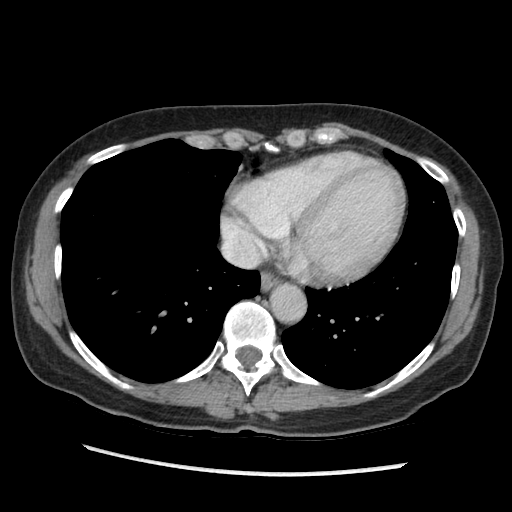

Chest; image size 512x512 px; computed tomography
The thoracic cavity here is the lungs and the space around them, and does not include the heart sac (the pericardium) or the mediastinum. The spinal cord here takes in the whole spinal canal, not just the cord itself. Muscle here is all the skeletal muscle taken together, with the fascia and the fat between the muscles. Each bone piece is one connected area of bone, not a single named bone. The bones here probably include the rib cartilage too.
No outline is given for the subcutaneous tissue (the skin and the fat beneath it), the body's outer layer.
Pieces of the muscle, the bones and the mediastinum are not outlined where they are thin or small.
The bones appear in 12 outlined pieces: piece 1: [[243,300],[253,301],[269,312],[275,324],[277,338],[289,360],[322,385],[289,380],[282,376],[281,368],[277,365],[273,371],[258,380],[247,396],[239,379],[218,363],[210,372],[196,378],[177,383],[171,381],[197,366],[210,354],[222,333],[227,312]]; inner edge: [[248,345],[250,346],[252,346],[258,349],[261,353],[261,356],[260,358],[256,362],[254,363],[251,369],[249,370],[246,370],[244,368],[244,366],[241,363],[241,362],[236,357],[236,354],[237,353],[237,350],[239,348],[241,348],[244,346],[247,346]]; piece 2: [[69,329],[73,329],[75,331],[81,340],[92,352],[92,353],[106,366],[107,366],[109,368],[110,371],[115,376],[122,381],[132,385],[133,388],[131,389],[122,389],[120,388],[90,365],[83,358],[73,345],[68,334],[68,330]]; piece 3: [[431,340],[434,340],[435,341],[435,345],[432,351],[426,358],[426,359],[413,372],[394,385],[380,392],[374,397],[363,397],[362,396],[364,393],[368,391],[373,390],[378,387],[380,387],[387,383],[397,372],[398,372],[410,361],[411,361],[431,341]]; piece 4: [[320,127],[336,127],[340,129],[345,134],[346,136],[344,138],[339,139],[337,141],[333,143],[331,143],[330,144],[319,144],[318,143],[316,143],[310,140],[309,138],[312,134],[313,131],[316,128],[319,128]]; piece 5: [[416,156],[422,156],[430,160],[432,162],[435,163],[440,168],[441,168],[441,169],[447,175],[447,176],[449,178],[449,182],[447,183],[445,183],[444,184],[442,184],[440,182],[436,180],[433,177],[432,177],[416,161],[415,161],[415,157]]; piece 6: [[119,143],[125,143],[127,145],[127,149],[126,150],[120,153],[118,153],[113,156],[111,156],[106,159],[104,159],[99,162],[97,162],[92,165],[88,164],[86,162],[86,160],[94,153],[104,148],[106,148],[109,146],[111,146],[115,144],[118,144]]; piece 7: [[225,132],[236,132],[237,133],[239,133],[244,138],[246,144],[245,145],[242,146],[240,148],[239,148],[238,149],[229,149],[228,148],[227,148],[227,147],[225,145],[225,144],[223,142],[223,141],[222,140],[222,134],[223,134]]; piece 8: [[300,129],[302,129],[306,132],[306,136],[307,137],[307,139],[306,140],[306,142],[305,144],[303,146],[301,147],[298,147],[297,148],[293,148],[292,147],[290,147],[288,146],[286,143],[286,136],[290,132],[292,131],[294,131],[295,130],[299,130]]; piece 9: [[456,206],[458,206],[461,209],[465,217],[465,222],[466,223],[466,226],[465,227],[465,234],[464,236],[462,237],[460,237],[458,235],[458,231],[457,230],[457,228],[456,227],[456,225],[455,224],[455,222],[454,221],[454,219],[452,215],[452,211]]; piece 10: [[455,260],[459,263],[459,265],[460,266],[460,275],[459,276],[459,283],[458,284],[458,286],[457,287],[457,290],[456,291],[455,296],[453,298],[453,299],[450,299],[450,286],[451,285],[451,275],[452,274],[452,269],[453,268],[453,266],[454,265]]; piece 11: [[69,185],[74,186],[74,188],[73,189],[73,190],[72,191],[69,198],[65,203],[62,210],[60,212],[58,212],[57,213],[56,213],[54,211],[54,208],[55,207],[55,204],[56,203],[57,198],[58,197],[59,194],[62,191],[62,190]]; piece 12: [[58,242],[60,242],[60,243],[61,244],[61,276],[60,277],[60,279],[59,280],[57,280],[56,279],[56,277],[55,276],[55,270],[54,269],[54,249],[55,248],[55,246],[56,245],[56,244]]. The spinal cord is outlined by [[248,345],[250,346],[252,346],[258,349],[261,353],[261,356],[260,358],[256,362],[254,363],[251,369],[249,370],[246,370],[244,368],[244,366],[241,363],[241,362],[236,357],[236,354],[237,353],[237,350],[239,348],[241,348],[244,346],[247,346]]. The torso is outlined by [[302,102],[367,105],[408,117],[453,146],[483,182],[499,217],[504,264],[487,341],[469,379],[393,425],[331,438],[286,438],[249,429],[224,433],[154,426],[104,413],[38,380],[26,366],[14,336],[10,271],[21,205],[47,164],[90,129],[138,110]]. The pericardium is outlined by [[340,144],[349,144],[375,152],[394,166],[405,185],[407,193],[405,221],[399,238],[383,260],[372,271],[347,286],[327,289],[300,284],[281,275],[257,268],[237,266],[227,259],[220,247],[219,216],[230,180],[249,166],[316,147]]. The thoracic cavity appears in 2 outlined pieces: piece 1: [[164,139],[179,139],[199,149],[225,148],[241,154],[237,171],[221,200],[215,246],[229,264],[256,270],[260,281],[255,295],[240,299],[228,309],[219,337],[201,362],[172,379],[142,382],[111,369],[73,328],[62,289],[60,224],[75,186],[91,166]]; piece 2: [[385,148],[416,162],[445,191],[457,231],[449,298],[433,337],[398,371],[368,387],[340,388],[325,384],[296,366],[278,338],[284,330],[296,325],[306,315],[306,287],[327,290],[347,287],[372,272],[400,238],[408,214],[408,193],[400,172],[384,154]]. The mediastinum appears in 4 outlined pieces: piece 1: [[241,268],[257,269],[260,271],[281,276],[300,285],[309,286],[306,286],[304,290],[307,299],[307,309],[302,319],[296,324],[284,329],[278,337],[274,319],[270,312],[265,307],[250,299],[240,300],[255,296],[259,292],[261,281],[260,273],[256,269]]; piece 2: [[313,144],[329,145],[316,146],[290,153],[275,159],[268,159],[259,164],[249,165],[245,169],[237,173],[243,156],[241,153],[235,150],[247,148],[250,152],[264,150],[269,153],[276,154],[279,153],[281,149],[286,146],[293,149],[297,149],[306,145]]; piece 3: [[348,138],[361,138],[370,142],[373,142],[380,146],[383,146],[384,147],[383,149],[383,154],[387,159],[375,151],[371,149],[368,149],[365,147],[362,147],[357,145],[352,145],[349,143],[340,143],[339,144],[331,144],[333,144],[334,143],[337,142],[339,140],[341,140],[342,139],[347,139]]; piece 4: [[219,232],[219,235],[220,236],[219,237],[219,247],[220,248],[220,251],[221,252],[221,253],[225,257],[225,258],[227,260],[228,260],[231,263],[229,263],[222,256],[220,251],[216,246],[216,244],[217,243],[217,242],[218,241],[218,239],[219,238]]. The muscle appears in 2 outlined pieces: piece 1: [[91,152],[85,160],[90,166],[75,185],[61,190],[54,204],[53,211],[61,215],[53,269],[55,279],[61,281],[72,345],[122,390],[134,386],[111,370],[137,382],[177,384],[208,374],[218,364],[238,379],[247,397],[278,366],[289,381],[346,390],[368,388],[391,377],[361,395],[363,398],[374,398],[380,393],[413,373],[433,351],[432,339],[449,299],[456,296],[461,275],[455,259],[458,236],[465,236],[467,226],[462,209],[458,205],[451,209],[443,186],[450,178],[423,156],[454,175],[477,219],[483,290],[473,326],[448,354],[405,385],[383,396],[351,406],[297,411],[277,420],[257,413],[224,420],[199,407],[156,403],[124,393],[64,354],[30,314],[25,295],[25,255],[40,207],[54,184]]; piece 2: [[323,122],[340,122],[353,128],[361,129],[379,136],[421,155],[416,155],[414,160],[388,147],[361,137],[345,138],[347,136],[346,134],[336,126],[316,127],[308,138],[310,141],[315,143],[312,144],[306,144],[308,139],[307,132],[300,128],[290,131],[285,136],[285,146],[281,148],[267,139],[261,144],[264,149],[260,150],[261,145],[258,143],[242,147],[247,144],[246,140],[239,132],[236,131],[225,131],[221,134],[221,140],[226,148],[214,147],[216,139],[207,134],[188,135],[185,138],[186,142],[179,138],[164,138],[131,149],[128,149],[128,145],[125,142],[173,131],[207,130],[212,128],[233,127],[256,131],[270,138],[279,134],[285,128],[312,127]].